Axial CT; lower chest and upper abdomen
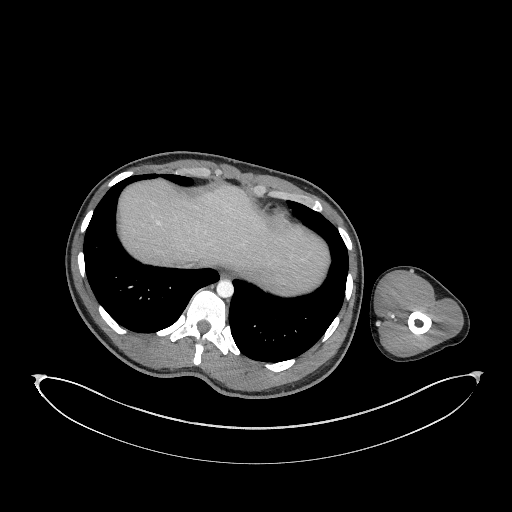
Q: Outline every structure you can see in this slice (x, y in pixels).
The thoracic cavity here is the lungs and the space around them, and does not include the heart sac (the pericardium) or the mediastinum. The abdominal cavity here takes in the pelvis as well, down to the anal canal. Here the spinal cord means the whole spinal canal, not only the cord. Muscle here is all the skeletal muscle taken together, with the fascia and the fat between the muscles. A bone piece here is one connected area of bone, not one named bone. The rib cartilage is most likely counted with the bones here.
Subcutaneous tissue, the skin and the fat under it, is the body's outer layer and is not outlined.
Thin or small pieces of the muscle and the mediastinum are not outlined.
A: The mediastinum appears in 2 outlined pieces: piece 1: 228 308; 228 306; 233 293; 233 285; 232 284; 232 281; 234 279; 237 278; 236 278; 235 276; 231 273; 231 272; 228 272; 226 270; 216 270; 219 274; 219 279; 216 282; 214 282; 204 287; 204 288; 210 289; 217 293; 226 303; piece 2: 292 215; 293 215; 292 214; 292 212; 287 204; 287 201; 285 200; 281 200; 280 199; 274 199; 269 197; 267 197; 266 198; 261 198; 261 200; 265 206; 265 205; 270 201; 271 202; 279 203; 285 206; 289 210; 290 213. The abdominal cavity is outlined by 284 298; 314 291; 324 281; 331 262; 325 240; 301 220; 291 215; 283 219; 268 215; 259 197; 231 179; 208 178; 205 184; 192 186; 177 184; 157 173; 155 178; 124 187; 117 202; 115 230; 123 248; 134 259; 163 267; 226 269. The torso is outlined by 244 399; 274 398; 309 388; 327 377; 345 355; 357 325; 364 288; 361 245; 351 221; 339 204; 314 183; 293 174; 224 155; 173 150; 121 165; 92 187; 70 228; 64 265; 76 310; 95 337; 132 368; 155 377; 194 376; 221 394. The pericardium is outlined by 282 218; 283 218; 283 217; 286 215; 288 215; 289 216; 290 215; 288 210; 285 207; 279 204; 271 203; 270 202; 266 205; 265 207; 265 210; 266 212; 268 213; 268 214; 272 215; 273 216; 276 216; 277 217; 281 217. The left arm is outlined by 397 362; 406 362; 407 361; 420 360; 439 352; 446 347; 456 345; 461 342; 466 337; 470 327; 469 314; 463 303; 431 274; 419 267; 411 265; 397 265; 384 270; 376 278; 372 286; 370 294; 369 324; 372 338; 377 348; 384 356. The spinal cord is outlined by 202 334; 203 333; 204 333; 205 332; 206 332; 210 328; 210 325; 209 324; 209 323; 208 322; 207 322; 205 320; 201 320; 200 321; 199 321; 197 323; 197 327; 198 328; 198 329; 199 330; 199 331. The thoracic cavity appears in 3 outlined pieces: piece 1: 138 332; 154 332; 171 324; 197 289; 218 279; 217 272; 208 268; 178 269; 141 264; 130 257; 119 243; 114 230; 115 207; 119 193; 128 183; 155 177; 156 173; 133 175; 110 188; 95 208; 84 238; 86 275; 98 301; 122 326; piece 2: 266 362; 296 357; 313 345; 337 314; 344 297; 348 256; 336 228; 320 213; 293 201; 288 201; 293 214; 326 240; 332 262; 322 285; 311 294; 297 298; 275 297; 247 282; 238 279; 233 281; 234 293; 228 309; 232 335; 242 353; piece 3: 180 184; 189 184; 191 183; 192 181; 192 179; 190 177; 188 177; 187 176; 181 176; 180 175; 175 175; 174 174; 171 174; 170 173; 164 173; 162 175; 162 176; 168 179; 170 179; 173 181; 175 181; 177 183; 179 183. The muscle appears in 4 outlined pieces: piece 1: 245 391; 265 390; 296 381; 327 363; 341 345; 352 317; 357 277; 355 246; 342 218; 324 200; 289 181; 266 174; 242 172; 225 163; 181 159; 131 167; 128 169; 134 174; 172 173; 183 166; 203 165; 213 171; 219 168; 222 174; 216 176; 213 173; 210 177; 235 179; 250 190; 256 184; 263 184; 268 190; 297 192; 318 199; 324 207; 321 213; 336 227; 340 225; 348 232; 353 247; 348 255; 354 286; 350 299; 344 299; 338 313; 341 319; 337 328; 325 342; 320 339; 298 356; 291 367; 277 373; 266 369; 265 362; 252 360; 241 353; 238 356; 231 352; 223 355; 212 343; 205 343; 201 363; 197 366; 225 386; piece 2: 400 357; 414 355; 426 350; 432 346; 456 335; 461 330; 463 326; 463 315; 458 305; 452 299; 449 298; 447 295; 432 286; 428 281; 411 270; 395 270; 386 274; 380 280; 376 288; 374 297; 375 319; 378 326; 380 342; 387 351, around a hole outlined by 415 334; 421 334; 422 333; 424 333; 426 332; 429 329; 431 325; 431 319; 430 317; 427 314; 422 312; 420 310; 414 310; 412 312; 411 312; 408 316; 408 319; 407 320; 407 323; 408 324; 408 327; 409 329; 413 333; piece 3: 152 368; 194 365; 194 339; 184 337; 172 342; 168 336; 129 330; 119 335; 105 323; 98 313; 99 303; 86 276; 82 278; 78 271; 76 255; 82 249; 84 237; 80 232; 80 223; 71 249; 75 287; 95 322; 114 344; 130 358; piece 4: 86 212; 90 208; 93 208; 94 209; 94 208; 96 206; 96 205; 98 203; 100 199; 107 191; 108 188; 106 186; 106 185; 109 180; 105 182; 98 189; 98 190; 95 193; 95 194; 91 199; 87 207. The bones appear in 12 outlined pieces: piece 1: 195 365; 200 363; 206 341; 212 342; 223 354; 226 354; 228 351; 236 355; 240 354; 227 323; 225 303; 217 294; 203 288; 200 288; 193 294; 175 322; 155 332; 157 335; 168 335; 172 341; 184 336; 192 336; 195 339; 193 358 with a hole at 202 334; 203 333; 204 333; 205 332; 206 332; 210 328; 210 325; 209 324; 209 323; 208 322; 207 322; 205 320; 201 320; 200 321; 199 321; 197 323; 197 327; 198 328; 198 329; 199 330; 199 331; piece 2: 318 212; 322 211; 323 209; 322 205; 318 200; 312 199; 308 196; 297 193; 290 193; 285 191; 278 191; 277 190; 268 191; 263 185; 256 185; 252 188; 253 193; 257 196; 261 197; 266 193; 270 197; 286 200; 293 200; 302 203; piece 3: 415 334; 421 334; 422 333; 424 333; 426 332; 429 329; 431 325; 431 319; 430 317; 427 314; 422 312; 420 310; 414 310; 412 312; 411 312; 408 316; 408 319; 407 320; 407 323; 408 324; 408 327; 409 329; 413 333; piece 4: 205 178; 209 177; 213 172; 216 175; 219 175; 221 174; 221 171; 219 169; 215 169; 213 172; 209 168; 203 166; 200 167; 183 167; 179 169; 176 169; 173 173; 175 174; 180 174; 181 175; 187 175; 188 176; 204 177; piece 5: 119 334; 124 334; 127 332; 127 330; 125 328; 122 327; 117 322; 116 322; 113 319; 113 318; 103 308; 103 307; 100 304; 99 304; 98 305; 98 310; 99 311; 99 313; 100 314; 100 315; 106 322; 106 323; 114 331; 115 331; piece 6: 275 372; 277 372; 278 371; 281 371; 291 366; 295 362; 296 360; 295 358; 292 358; 291 359; 288 359; 287 360; 284 360; 283 361; 280 361; 279 362; 275 362; 274 363; 265 363; 264 365; 266 368; 272 371; 274 371; piece 7: 323 342; 324 341; 325 341; 331 335; 331 334; 336 328; 336 327; 339 322; 339 320; 340 319; 340 318; 338 315; 337 315; 334 318; 334 319; 331 322; 331 323; 325 331; 324 334; 322 336; 322 337; 321 338; 321 341; 322 341; piece 8: 109 188; 111 187; 114 184; 122 180; 124 178; 126 177; 128 177; 132 175; 133 174; 133 172; 131 170; 126 170; 125 171; 123 171; 117 174; 115 176; 114 176; 109 181; 107 185; 107 186; piece 9: 346 300; 348 300; 349 299; 349 298; 350 297; 350 295; 351 294; 352 287; 353 286; 353 281; 352 280; 352 276; 351 275; 351 273; 350 272; 348 272; 348 273; 347 274; 347 278; 346 279; 346 283; 345 284; 345 297; 344 298; piece 10: 349 251; 350 250; 351 250; 351 248; 352 247; 351 246; 351 241; 350 240; 350 238; 349 237; 347 232; 342 227; 341 227; 340 226; 338 226; 337 227; 337 229; 338 230; 338 231; 339 232; 339 233; 340 234; 347 249; piece 11: 82 277; 84 277; 85 276; 85 264; 84 263; 84 258; 83 257; 83 252; 82 251; 82 250; 81 251; 79 251; 79 252; 77 255; 77 262; 78 263; 78 267; 79 268; 79 271; 80 272; 80 274; piece 12: 82 233; 84 233; 85 232; 85 230; 86 229; 86 228; 89 223; 89 221; 90 220; 90 219; 91 218; 91 216; 93 213; 93 209; 90 209; 85 214; 85 215; 82 220; 82 222; 81 223; 81 232.